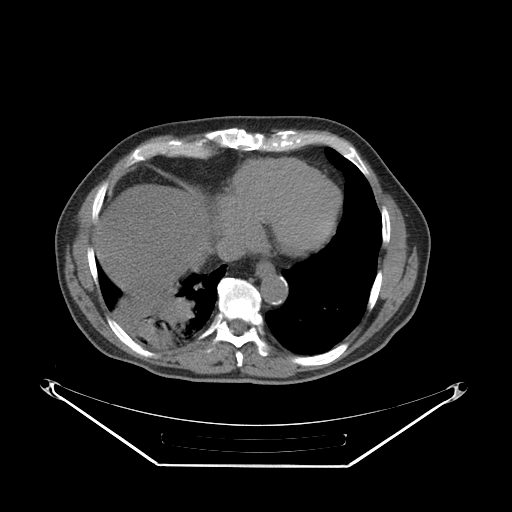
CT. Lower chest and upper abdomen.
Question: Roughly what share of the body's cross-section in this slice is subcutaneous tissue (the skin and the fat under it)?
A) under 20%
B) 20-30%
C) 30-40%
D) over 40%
Answer: A) under 20%
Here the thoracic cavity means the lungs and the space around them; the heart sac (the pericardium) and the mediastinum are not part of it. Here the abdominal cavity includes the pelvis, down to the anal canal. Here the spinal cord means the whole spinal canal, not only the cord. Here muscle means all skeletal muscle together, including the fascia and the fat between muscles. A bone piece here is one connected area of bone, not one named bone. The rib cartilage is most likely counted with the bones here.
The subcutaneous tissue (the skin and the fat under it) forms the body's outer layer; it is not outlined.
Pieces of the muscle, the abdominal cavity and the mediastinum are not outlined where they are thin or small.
{"abdominal_cavity":[[[137,163],[150,163],[160,166],[194,187],[201,194],[208,206],[207,217],[209,219],[210,232],[209,257],[202,268],[174,281],[158,292],[144,297],[135,297],[127,294],[112,283],[96,259],[94,249],[96,223],[98,221],[106,194],[118,175],[124,169]]],"mediastinum":[[[309,145],[326,146],[325,156],[344,177],[343,189],[340,176],[324,163],[301,154],[284,153],[253,156],[239,162],[215,195],[217,226],[229,239],[261,256],[303,259],[315,252],[322,246],[336,226],[333,235],[315,254],[281,270],[288,295],[280,307],[263,315],[257,288],[243,278],[224,276],[224,264],[207,273],[197,271],[205,266],[211,251],[209,206],[202,194],[170,170],[155,163],[139,162],[156,155],[206,159],[224,148],[287,152]]],"muscle":[[[202,132],[205,132],[202,136],[191,141],[173,138],[136,147],[107,193],[109,183],[105,180],[94,194],[90,213],[95,223],[93,247],[86,248],[86,258],[92,279],[99,286],[111,312],[113,318],[105,316],[110,329],[122,343],[147,358],[157,356],[150,350],[164,350],[182,344],[202,331],[198,340],[214,332],[205,351],[211,352],[218,342],[230,343],[236,348],[234,356],[239,368],[244,358],[240,348],[248,342],[256,346],[259,355],[265,357],[269,354],[270,346],[262,337],[266,334],[265,327],[285,349],[295,354],[289,357],[294,364],[317,366],[337,359],[349,346],[344,339],[360,322],[366,309],[371,311],[377,302],[383,279],[383,272],[378,269],[380,249],[389,243],[391,235],[388,208],[384,204],[379,208],[367,179],[370,172],[357,150],[400,209],[407,243],[416,247],[418,270],[412,290],[396,312],[377,332],[343,358],[322,368],[287,377],[249,375],[238,369],[202,374],[157,365],[135,357],[107,340],[74,301],[65,279],[65,253],[72,222],[89,192],[141,142],[158,135],[182,136]],[[290,128],[295,128],[296,129],[315,129],[316,130],[326,130],[327,131],[329,131],[331,133],[333,133],[340,137],[342,137],[346,139],[353,145],[349,143],[346,140],[336,135],[320,133],[319,132],[303,132],[302,131],[297,131],[294,129],[291,129]]],"thoracic_cavity":[[[327,146],[351,162],[366,178],[380,212],[381,245],[377,270],[359,322],[330,349],[300,355],[285,348],[273,336],[265,326],[264,316],[267,311],[280,308],[289,295],[289,284],[282,270],[293,268],[315,255],[334,235],[341,220],[345,177],[326,156]],[[97,260],[111,283],[123,293],[135,298],[152,296],[186,276],[196,272],[207,274],[224,265],[225,272],[216,285],[217,299],[215,304],[217,311],[205,329],[190,339],[164,349],[148,349],[142,343],[134,340],[114,319],[112,312],[106,305],[100,288]]],"pericardium":[[[284,154],[301,155],[320,162],[333,170],[341,179],[343,198],[341,213],[337,224],[325,239],[323,244],[303,258],[292,259],[256,253],[237,241],[229,238],[218,226],[216,221],[217,192],[220,185],[235,166],[246,159],[253,157]]],"torso":[[[220,115],[311,115],[343,123],[374,148],[419,206],[431,238],[424,289],[411,318],[380,350],[342,370],[300,383],[194,382],[156,375],[139,366],[109,357],[94,347],[78,328],[59,287],[54,252],[57,221],[72,192],[90,169],[131,133],[165,122]]],"spinal_cord":[[[233,319],[241,319],[242,320],[243,320],[246,323],[247,323],[247,324],[248,325],[248,327],[247,328],[247,329],[246,330],[245,330],[241,334],[235,334],[233,332],[233,331],[229,327],[229,321],[230,321],[231,320],[232,320]]],"bones":[[[229,127],[266,135],[290,129],[303,133],[336,136],[355,148],[369,175],[366,177],[338,151],[323,144],[309,144],[287,151],[214,147],[213,154],[206,158],[156,154],[126,167],[124,165],[133,151],[147,143],[173,139],[191,142],[206,132]],{"outer":[[223,277],[249,282],[261,297],[259,312],[265,330],[261,337],[268,344],[269,351],[263,356],[252,341],[244,343],[239,348],[243,356],[239,367],[235,356],[237,348],[232,343],[218,341],[207,352],[216,333],[198,339],[218,311],[217,285]],"hole":[[233,319],[241,319],[242,320],[243,320],[246,323],[247,323],[247,324],[248,325],[248,327],[247,328],[247,329],[246,330],[245,330],[241,334],[235,334],[233,332],[233,331],[229,327],[229,321],[230,321],[231,320],[232,320]]},[[343,342],[347,342],[348,343],[348,346],[337,358],[329,363],[326,363],[325,364],[318,364],[317,365],[300,365],[299,364],[294,363],[290,360],[290,357],[294,355],[299,355],[300,356],[312,356],[313,355],[324,353],[335,347],[340,343],[342,343]],[[106,316],[109,316],[112,319],[115,320],[115,321],[134,341],[141,345],[145,349],[147,349],[155,353],[156,354],[156,356],[155,357],[147,357],[146,356],[141,355],[131,349],[126,344],[122,342],[111,329],[110,326],[108,324],[106,320]],[[105,181],[106,181],[108,183],[108,186],[106,190],[106,193],[105,194],[105,196],[103,200],[103,203],[101,206],[100,211],[98,214],[97,221],[96,222],[93,222],[92,218],[91,217],[93,200],[94,199],[94,197],[97,190]],[[382,205],[384,205],[385,206],[386,206],[386,207],[387,208],[387,210],[388,211],[388,213],[389,214],[389,220],[390,221],[390,235],[389,236],[389,241],[388,242],[388,243],[385,246],[382,246],[382,220],[381,219],[381,212],[380,211],[380,208]],[[378,270],[381,270],[382,272],[381,286],[379,290],[379,293],[378,294],[376,302],[373,308],[371,310],[368,310],[367,309],[367,304],[368,303],[368,300],[370,295],[370,291],[371,290],[372,285],[374,282],[374,280]],[[89,246],[92,247],[94,250],[94,255],[95,256],[95,259],[96,260],[96,268],[97,269],[97,278],[98,279],[98,284],[99,285],[98,286],[97,286],[93,279],[93,277],[90,271],[89,264],[88,263],[88,259],[87,258],[87,248]]]}